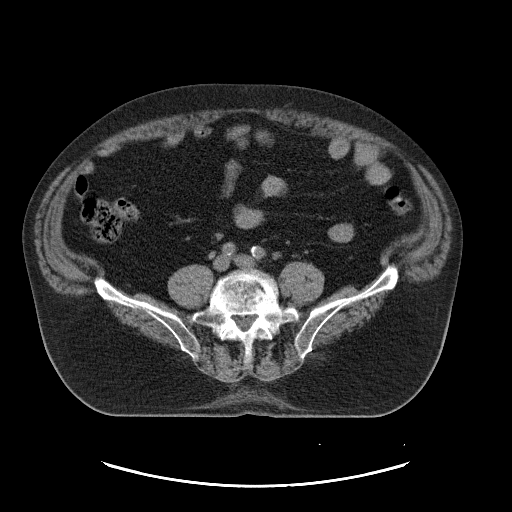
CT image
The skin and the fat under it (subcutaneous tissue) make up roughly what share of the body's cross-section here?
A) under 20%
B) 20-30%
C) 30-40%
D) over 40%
C) 30-40%
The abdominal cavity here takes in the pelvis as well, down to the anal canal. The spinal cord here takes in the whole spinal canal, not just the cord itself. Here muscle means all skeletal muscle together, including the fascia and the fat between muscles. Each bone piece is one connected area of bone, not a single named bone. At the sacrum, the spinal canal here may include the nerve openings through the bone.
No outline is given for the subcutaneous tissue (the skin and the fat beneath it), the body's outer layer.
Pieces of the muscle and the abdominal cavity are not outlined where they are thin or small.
{"torso":[[[207,82],[299,85],[348,97],[379,112],[401,128],[443,174],[462,219],[459,275],[438,360],[420,391],[399,409],[377,417],[114,416],[98,412],[80,401],[56,372],[41,337],[21,241],[23,218],[34,188],[60,151],[108,111],[152,91]]],"abdominal_cavity":[[[239,112],[366,140],[403,162],[421,223],[383,249],[373,280],[309,305],[325,283],[310,262],[288,262],[277,283],[256,268],[234,269],[213,287],[210,268],[192,263],[166,282],[186,312],[116,288],[97,260],[67,247],[66,197],[90,160]]],"bones":[{"outer":[[238,269],[256,269],[269,274],[277,284],[279,304],[282,307],[294,307],[299,313],[298,321],[282,323],[272,339],[256,339],[248,364],[244,363],[245,350],[239,340],[221,340],[209,326],[190,323],[188,319],[194,312],[207,307],[217,280]],"hole":[[236,316],[238,316],[239,317],[243,317],[244,316],[251,316],[253,318],[253,319],[252,320],[252,322],[251,323],[250,326],[247,329],[246,329],[245,330],[243,330],[242,329],[241,329],[238,326],[238,325],[235,320],[235,318],[234,317],[235,317]]},[[390,264],[394,264],[398,269],[399,276],[395,287],[393,289],[383,290],[368,297],[356,300],[337,311],[319,329],[312,342],[312,350],[306,354],[301,362],[294,346],[294,338],[310,311],[314,307],[321,306],[336,299],[352,296],[363,291],[369,287]],[[96,276],[104,278],[116,289],[129,297],[140,301],[145,301],[163,310],[169,311],[177,315],[195,335],[199,343],[198,359],[194,361],[186,352],[182,351],[179,343],[172,333],[142,308],[139,307],[131,308],[111,300],[103,299],[97,293],[93,282]]],"spinal_cord":[[[236,316],[238,316],[239,317],[243,317],[244,316],[251,316],[253,318],[253,319],[252,320],[252,322],[251,323],[250,326],[247,329],[246,329],[245,330],[243,330],[242,329],[241,329],[238,326],[238,325],[235,320],[235,318],[234,317],[235,317]]],"muscle":[[[242,107],[290,107],[329,115],[404,148],[433,176],[449,205],[451,247],[446,266],[437,276],[397,285],[400,274],[394,263],[382,271],[384,249],[415,233],[422,223],[421,199],[397,155],[366,139],[282,125],[261,113],[239,111],[90,159],[65,197],[61,236],[69,250],[94,259],[104,270],[105,278],[96,275],[92,280],[101,298],[60,294],[48,284],[36,257],[32,225],[41,199],[63,168],[89,146],[138,123]],[[295,261],[312,264],[324,276],[323,289],[309,306],[314,306],[344,286],[365,286],[373,281],[355,294],[314,306],[309,311],[293,338],[293,346],[301,363],[313,350],[313,342],[320,329],[337,312],[356,301],[392,290],[374,316],[345,337],[323,364],[269,382],[250,375],[233,383],[223,382],[201,373],[127,329],[104,301],[142,309],[171,333],[180,350],[194,362],[200,357],[200,343],[177,314],[129,296],[118,289],[128,295],[137,293],[144,293],[178,310],[193,312],[187,317],[190,324],[209,327],[221,341],[239,341],[244,350],[243,363],[248,365],[253,359],[252,350],[256,340],[272,340],[280,332],[282,324],[300,319],[300,313],[294,306],[282,306],[279,301],[280,272],[288,263]],[[192,264],[199,264],[200,265],[207,266],[212,272],[213,277],[214,278],[206,307],[197,311],[190,310],[179,305],[173,299],[172,299],[168,292],[168,289],[167,288],[167,282],[168,281],[168,279],[174,272],[184,266],[187,266]]]}